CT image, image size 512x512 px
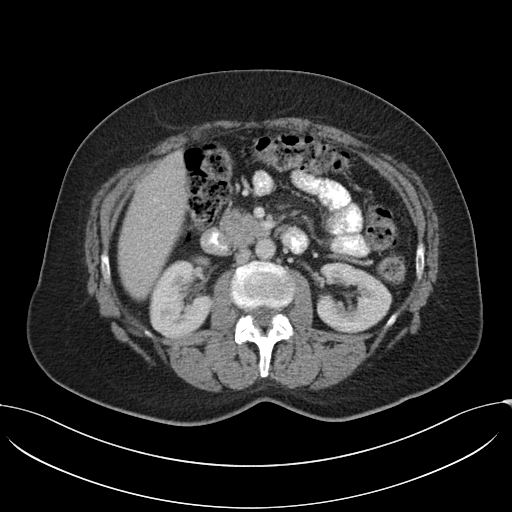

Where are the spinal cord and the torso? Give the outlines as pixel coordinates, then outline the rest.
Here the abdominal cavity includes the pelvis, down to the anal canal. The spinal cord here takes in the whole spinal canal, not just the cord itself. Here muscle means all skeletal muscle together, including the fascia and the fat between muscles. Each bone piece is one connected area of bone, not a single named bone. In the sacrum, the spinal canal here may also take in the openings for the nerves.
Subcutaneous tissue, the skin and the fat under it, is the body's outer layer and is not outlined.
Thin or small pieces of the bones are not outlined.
{"spinal_cord":[[[261,306],[265,306],[269,308],[272,308],[273,309],[275,309],[277,311],[277,312],[271,318],[270,320],[270,326],[268,327],[261,327],[258,325],[256,325],[254,323],[254,318],[250,314],[250,311],[251,310],[257,307],[260,307]]],"torso":[[[233,69],[300,70],[350,82],[404,111],[438,143],[471,217],[484,317],[475,355],[445,383],[346,421],[323,421],[262,401],[220,421],[178,426],[97,404],[58,385],[38,366],[26,341],[26,312],[61,182],[77,147],[103,118],[135,96],[185,76]]],"bones":[{"outer":[[252,260],[272,262],[282,266],[291,277],[294,288],[292,300],[281,310],[288,318],[293,328],[293,334],[288,339],[279,340],[274,344],[266,377],[260,376],[257,345],[251,341],[238,344],[234,338],[235,324],[244,312],[232,301],[230,282],[235,269]],"hole":[[261,306],[265,306],[269,308],[272,308],[273,309],[275,309],[277,311],[277,312],[271,318],[270,320],[270,326],[268,327],[261,327],[258,325],[256,325],[254,323],[254,318],[250,314],[250,311],[251,310],[257,307],[260,307]]},[[420,242],[422,242],[424,244],[425,246],[425,251],[424,252],[424,269],[423,270],[423,273],[422,274],[422,276],[421,278],[419,280],[418,280],[416,277],[416,268],[415,267],[415,257],[416,256],[416,248],[417,247],[417,245],[418,243]],[[103,251],[106,251],[106,252],[109,257],[109,266],[110,267],[110,283],[109,284],[107,284],[103,280],[103,279],[102,278],[102,274],[101,273],[101,269],[100,268],[100,265],[101,264],[101,259],[100,258],[100,255],[101,254],[101,253]],[[396,312],[397,313],[397,316],[396,317],[396,319],[395,320],[395,321],[394,322],[394,323],[392,325],[391,325],[386,329],[384,329],[383,328],[383,327],[384,326],[384,325],[386,323],[386,322],[389,319],[389,318],[394,313],[395,313]]],"muscle":[{"outer":[[280,117],[308,118],[315,122],[320,122],[342,129],[372,146],[388,153],[395,159],[405,163],[415,171],[421,178],[421,180],[429,194],[434,206],[434,210],[438,218],[439,244],[438,245],[437,278],[435,283],[433,284],[433,289],[427,298],[426,304],[420,310],[420,327],[417,332],[414,334],[409,333],[384,354],[374,357],[369,360],[366,359],[350,376],[337,384],[330,387],[323,388],[320,390],[308,390],[303,388],[293,388],[291,389],[281,386],[273,380],[263,378],[260,381],[257,381],[249,387],[240,390],[226,389],[225,391],[222,392],[210,392],[202,390],[190,385],[180,378],[172,370],[168,368],[150,365],[126,343],[121,342],[116,339],[110,329],[109,323],[99,314],[96,304],[88,297],[87,291],[88,271],[85,262],[84,241],[85,240],[85,228],[89,216],[92,198],[104,182],[119,169],[125,167],[131,163],[156,142],[182,131],[193,125],[196,125],[202,122],[209,122],[215,120],[244,120],[245,121],[254,120],[255,121],[261,121],[265,119],[272,119]],"hole":[[260,127],[296,130],[349,147],[399,194],[417,242],[425,246],[422,276],[414,279],[394,323],[372,332],[314,327],[310,284],[298,270],[288,268],[294,293],[281,311],[293,334],[274,344],[266,377],[260,376],[257,345],[238,344],[234,338],[235,324],[244,312],[230,295],[232,268],[212,286],[209,327],[176,339],[147,336],[120,301],[112,277],[107,284],[100,268],[100,255],[109,254],[126,201],[154,164],[212,135]]}],"abdominal_cavity":[[[260,127],[296,130],[349,147],[401,197],[417,235],[415,278],[401,305],[375,331],[350,334],[314,327],[306,277],[296,269],[258,259],[218,276],[212,286],[209,327],[183,337],[154,335],[120,301],[111,276],[110,245],[137,183],[177,148],[215,134]]]}